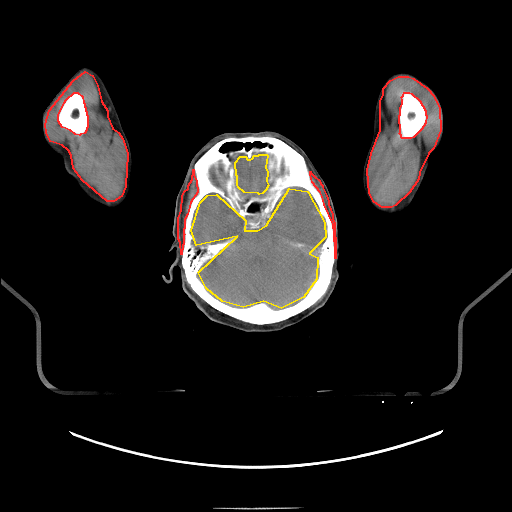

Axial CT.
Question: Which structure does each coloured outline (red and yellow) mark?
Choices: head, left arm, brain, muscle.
Answer: red: muscle; yellow: brain.
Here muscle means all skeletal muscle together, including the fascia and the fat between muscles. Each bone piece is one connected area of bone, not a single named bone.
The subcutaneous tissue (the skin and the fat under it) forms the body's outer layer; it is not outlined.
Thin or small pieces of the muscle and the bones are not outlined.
{"muscle":[{"outer":[[398,76],[408,76],[413,78],[427,88],[433,95],[439,108],[440,130],[433,148],[428,153],[419,172],[418,179],[409,192],[395,205],[391,207],[382,207],[374,202],[369,193],[367,170],[371,153],[380,130],[380,101],[383,94],[383,88],[390,80]],"hole":[[404,92],[409,92],[411,93],[419,100],[425,110],[425,114],[426,115],[425,123],[421,129],[413,137],[411,138],[402,138],[401,137],[401,135],[399,133],[400,132],[399,115],[400,114],[400,108],[402,103],[402,99],[401,97],[403,95]]},{"outer":[[85,71],[92,75],[97,85],[101,101],[107,110],[107,116],[112,128],[118,132],[122,138],[127,153],[125,186],[121,196],[113,201],[107,201],[82,180],[73,168],[71,155],[68,150],[62,145],[50,141],[46,132],[45,124],[49,110],[73,80]],"hole":[[74,92],[77,92],[82,96],[83,102],[84,103],[84,106],[85,107],[85,110],[86,111],[86,114],[87,115],[87,127],[86,128],[86,130],[84,133],[80,134],[79,135],[75,134],[70,130],[62,127],[58,121],[58,115],[64,102],[66,99]]},[[193,169],[193,174],[196,181],[197,192],[190,202],[187,214],[184,219],[184,228],[183,229],[183,233],[184,234],[183,235],[183,244],[182,245],[181,254],[180,242],[178,239],[178,218],[181,210],[182,196],[184,191],[188,188],[188,185],[192,179]],[[310,171],[310,172],[314,176],[319,180],[320,183],[322,185],[322,187],[326,195],[328,201],[328,204],[332,214],[332,218],[334,223],[334,236],[335,237],[335,258],[335,242],[334,241],[334,229],[333,228],[333,224],[324,204],[322,196],[320,192],[312,182],[310,174]]],"brain":[[[289,188],[307,191],[324,222],[325,237],[309,253],[317,257],[316,279],[303,297],[281,308],[263,301],[243,307],[222,301],[206,288],[198,272],[237,236],[196,245],[191,230],[200,202],[207,195],[216,194],[245,220],[244,230],[257,230],[266,225]],[[259,154],[266,154],[267,155],[265,167],[267,172],[266,181],[268,185],[265,190],[262,193],[259,194],[258,193],[244,192],[238,187],[237,184],[237,176],[236,175],[235,162],[240,156],[245,156],[247,159],[250,159],[252,158],[254,155],[258,155]]],"left_arm":[[[400,70],[409,71],[419,76],[433,89],[437,95],[442,108],[443,114],[443,135],[439,146],[428,164],[423,180],[409,205],[399,213],[384,214],[375,209],[366,197],[362,183],[362,173],[364,161],[372,138],[374,109],[380,88],[386,78],[390,74]]],"head":[{"outer":[[265,130],[281,133],[299,145],[324,180],[337,216],[339,275],[326,303],[311,315],[281,330],[246,332],[212,321],[200,311],[182,289],[176,265],[171,281],[164,277],[170,277],[175,258],[175,250],[169,248],[174,239],[176,196],[193,156],[218,134]],"hole":[[227,143],[240,143],[241,144],[242,144],[242,146],[241,147],[240,147],[239,148],[228,148],[227,149],[225,149],[224,150],[222,150],[222,147],[225,144],[226,144]]}],"right_arm":[[[84,66],[89,66],[95,70],[102,78],[115,106],[122,128],[130,146],[132,167],[129,191],[125,200],[120,205],[113,208],[106,207],[92,200],[80,189],[74,179],[66,172],[62,158],[46,143],[42,132],[42,115],[44,111],[62,87],[76,72]]],"bones":[{"outer":[[246,136],[272,136],[278,138],[303,156],[311,182],[321,196],[333,229],[335,259],[331,280],[325,293],[303,311],[285,320],[267,324],[245,322],[209,305],[192,290],[186,281],[181,263],[185,219],[191,202],[198,192],[194,164],[217,142],[228,137]],"holes":[[[289,188],[307,191],[324,222],[325,237],[309,253],[317,257],[316,279],[303,297],[281,308],[263,301],[243,307],[222,301],[206,288],[198,272],[237,236],[196,245],[191,230],[200,202],[207,195],[216,194],[245,220],[244,230],[257,230],[266,225]],[[259,154],[266,154],[267,155],[265,167],[267,172],[266,181],[268,185],[265,190],[262,193],[259,194],[258,193],[244,192],[238,187],[237,184],[237,176],[236,175],[235,162],[240,156],[245,156],[247,159],[250,159],[252,158],[254,155],[258,155]],[[227,143],[240,143],[241,144],[242,144],[242,146],[241,147],[240,147],[239,148],[228,148],[227,149],[225,149],[224,150],[222,150],[222,147],[225,144],[226,144]]]},[[404,92],[409,92],[411,93],[419,100],[425,110],[425,114],[426,115],[425,123],[421,129],[413,137],[411,138],[402,138],[401,137],[401,135],[399,133],[400,132],[399,115],[400,114],[400,108],[402,103],[402,99],[401,97],[403,95]],[[74,92],[77,92],[82,96],[83,102],[84,103],[84,106],[85,107],[85,110],[86,111],[86,114],[87,115],[87,127],[86,128],[86,130],[84,133],[80,134],[79,135],[75,134],[70,130],[62,127],[58,121],[58,115],[64,102],[66,99]]]}